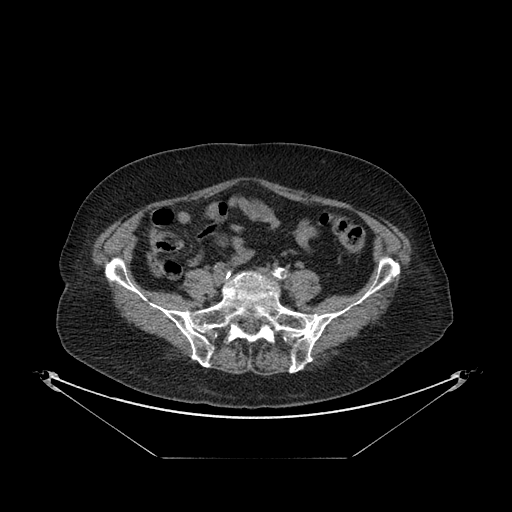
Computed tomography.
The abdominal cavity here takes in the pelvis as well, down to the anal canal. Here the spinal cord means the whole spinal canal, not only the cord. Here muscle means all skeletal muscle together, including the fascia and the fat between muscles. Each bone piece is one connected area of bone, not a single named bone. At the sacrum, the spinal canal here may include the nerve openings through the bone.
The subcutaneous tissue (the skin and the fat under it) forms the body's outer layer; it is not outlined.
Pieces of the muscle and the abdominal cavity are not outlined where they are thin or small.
Outlined structures:
muscle 1: (238, 177) (262, 178) (350, 203) (376, 213) (397, 225) (408, 237) (412, 251) (410, 262) (386, 311) (374, 325) (353, 339) (328, 363) (318, 368) (304, 369) (314, 360) (313, 348) (326, 326) (391, 282) (401, 272) (398, 261) (389, 255) (383, 255) (378, 260) (370, 286) (356, 300) (341, 309) (330, 312) (309, 313) (300, 310) (290, 294) (289, 279) (293, 272) (307, 269) (318, 276) (321, 289) (305, 303) (310, 306) (332, 295) (356, 293) (366, 284) (372, 273) (376, 235) (366, 222) (350, 209) (291, 199) (255, 181) (248, 180) (240, 181) (195, 201) (154, 206) (143, 214) (133, 231) (136, 242) (130, 269) (135, 280) (146, 290) (174, 292) (183, 298) (191, 299) (182, 287) (185, 274) (199, 268) (211, 274) (215, 293) (207, 297) (201, 307) (194, 310) (166, 308) (151, 301) (134, 285) (126, 264) (120, 256) (113, 256) (108, 260) (104, 264) (103, 273) (110, 282) (115, 282) (135, 293) (172, 321) (189, 343) (191, 350) (189, 357) (198, 364) (167, 356) (159, 343) (135, 326) (128, 324) (114, 306) (105, 283) (95, 268) (92, 249) (97, 234) (117, 217) (149, 202) (182, 196)
muscle 2: (218, 329) (227, 330) (226, 343) (242, 339) (251, 344) (264, 339) (274, 344) (275, 336) (279, 333) (284, 342) (293, 341) (287, 372) (259, 375) (247, 371) (233, 374) (210, 368) (212, 366) (210, 360) (215, 347) (207, 334) (211, 334) (216, 339) (219, 336)
abdominal cavity: (248, 181) (357, 214) (375, 235) (365, 284) (310, 305) (320, 278) (295, 270) (288, 288) (300, 311) (282, 304) (278, 285) (253, 269) (235, 273) (220, 300) (206, 307) (216, 289) (203, 268) (184, 274) (181, 287) (191, 298) (144, 288) (131, 269) (134, 231) (144, 214)
torso: (271, 141) (306, 143) (358, 156) (388, 171) (415, 197) (449, 281) (453, 321) (442, 337) (362, 390) (327, 401) (281, 408) (226, 408) (167, 400) (126, 387) (73, 358) (61, 345) (55, 327) (64, 287) (58, 262) (73, 218) (87, 194) (115, 169) (152, 153) (207, 142)
bones: (383, 256) (399, 263) (398, 275) (333, 318) (313, 360) (293, 373) (294, 341) (280, 332) (274, 343) (226, 342) (218, 328) (206, 334) (211, 366) (201, 366) (172, 320) (104, 273) (120, 257) (151, 302) (194, 311) (253, 270) (277, 285) (285, 307) (323, 314) (363, 295), around a hole outlined by (246, 319) (253, 319) (254, 320) (256, 320) (257, 321) (258, 321) (259, 322) (259, 325) (258, 326) (258, 328) (257, 329) (257, 330) (254, 333) (248, 333) (247, 332) (246, 332) (241, 327) (241, 324) (242, 323) (242, 322) (243, 322) (244, 321) (244, 320) (245, 320)
spinal cord: (246, 319) (253, 319) (254, 320) (256, 320) (257, 321) (258, 321) (259, 322) (259, 325) (258, 326) (258, 328) (257, 329) (257, 330) (254, 333) (248, 333) (247, 332) (246, 332) (241, 327) (241, 324) (242, 323) (242, 322) (243, 322) (244, 321) (244, 320) (245, 320)